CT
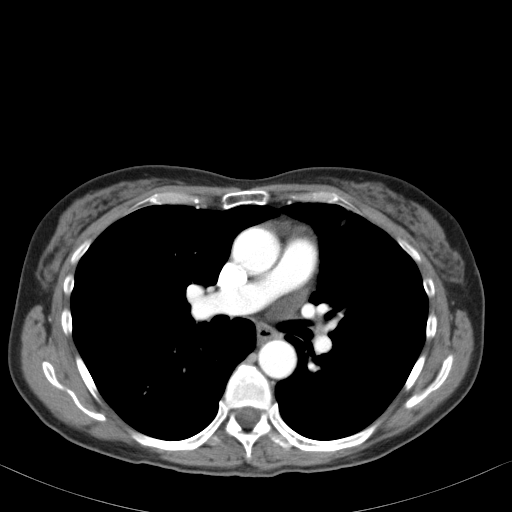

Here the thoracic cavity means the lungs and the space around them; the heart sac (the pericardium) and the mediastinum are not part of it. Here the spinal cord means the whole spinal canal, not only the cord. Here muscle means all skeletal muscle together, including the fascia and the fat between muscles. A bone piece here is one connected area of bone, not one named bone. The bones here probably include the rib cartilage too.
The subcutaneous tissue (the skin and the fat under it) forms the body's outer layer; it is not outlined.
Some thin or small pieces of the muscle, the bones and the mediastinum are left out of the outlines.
{"mediastinum":[[[281,213],[299,220],[312,228],[317,237],[318,243],[318,255],[319,256],[319,266],[315,290],[299,313],[282,326],[285,340],[296,351],[297,366],[273,393],[258,368],[244,361],[256,345],[254,324],[234,318],[216,291],[244,315],[265,322],[288,317],[292,315],[304,303],[313,287],[318,271],[318,270],[318,269],[318,268],[318,245],[317,244],[314,233],[307,225],[292,220],[269,221],[236,237]]],"muscle":[{"outer":[[275,183],[336,187],[413,237],[440,279],[449,309],[464,310],[473,329],[469,366],[451,395],[411,427],[356,453],[328,463],[267,470],[248,463],[232,467],[180,464],[96,438],[55,417],[23,377],[20,334],[33,306],[42,305],[46,316],[50,312],[54,287],[76,238],[102,215],[149,189],[179,184],[232,186],[241,189],[225,192],[219,199],[220,208],[204,207],[205,199],[197,194],[154,192],[73,251],[69,261],[76,265],[74,273],[69,272],[62,282],[63,293],[70,297],[69,307],[61,310],[60,325],[66,336],[72,336],[82,381],[99,404],[101,396],[132,428],[127,430],[132,439],[164,451],[213,446],[220,441],[219,430],[242,445],[247,460],[254,443],[264,435],[285,450],[334,452],[360,445],[374,433],[381,423],[378,417],[401,389],[406,392],[413,386],[424,366],[427,356],[421,352],[438,324],[436,314],[429,312],[429,298],[436,292],[434,281],[422,277],[417,264],[422,258],[408,241],[392,237],[343,196],[324,189],[308,190],[289,193],[285,202],[269,203],[268,190],[251,188]],"holes":[[[449,354],[452,354],[453,355],[453,361],[452,362],[452,365],[450,371],[443,383],[438,388],[433,390],[429,393],[426,397],[412,407],[410,408],[405,407],[404,406],[405,402],[412,395],[416,393],[419,393],[422,391],[435,378],[442,365],[444,359]],[[43,361],[47,361],[53,366],[58,381],[70,389],[75,394],[77,399],[84,407],[89,410],[103,414],[106,419],[104,421],[101,421],[89,416],[83,412],[75,404],[71,396],[65,390],[60,389],[53,385],[46,378],[43,372],[42,369],[42,362]]]}],"bones":[{"outer":[[243,361],[266,378],[281,418],[306,438],[335,440],[377,420],[380,423],[360,444],[334,451],[285,449],[264,434],[253,443],[249,459],[243,445],[222,429],[216,433],[215,444],[190,450],[143,445],[129,429],[177,441],[205,428],[218,411],[231,374]],"hole":[[243,407],[251,407],[252,408],[254,408],[259,411],[259,418],[258,419],[258,420],[256,422],[256,423],[251,428],[244,428],[238,422],[238,421],[236,418],[236,414],[237,413],[236,412],[236,411],[238,409],[239,409],[240,408],[242,408]]},[[165,191],[175,191],[176,192],[183,192],[192,195],[197,195],[204,199],[204,206],[203,207],[200,207],[197,205],[195,206],[190,204],[179,204],[178,203],[174,204],[173,203],[150,204],[142,206],[121,216],[126,210],[135,203],[152,195],[154,193]],[[247,189],[263,189],[264,190],[268,191],[271,195],[271,197],[268,203],[266,204],[253,204],[252,203],[249,203],[248,204],[239,204],[238,205],[236,205],[229,208],[226,208],[225,209],[221,208],[220,199],[225,193],[231,192],[232,191],[246,190]],[[319,190],[324,190],[325,191],[334,192],[338,194],[355,206],[359,210],[361,214],[354,212],[336,203],[328,203],[327,202],[320,202],[319,201],[291,201],[290,200],[287,201],[288,199],[288,195],[291,193],[307,192],[308,191],[318,191]],[[449,354],[452,354],[453,355],[453,361],[452,362],[452,365],[450,371],[443,383],[438,388],[433,390],[429,393],[426,397],[412,407],[410,408],[405,407],[404,406],[405,402],[412,395],[416,393],[419,393],[422,391],[435,378],[442,365],[444,359]],[[43,361],[47,361],[53,366],[58,381],[70,389],[75,394],[77,399],[84,407],[89,410],[103,414],[106,419],[104,421],[101,421],[89,416],[83,412],[75,404],[71,396],[65,390],[60,389],[53,385],[46,378],[43,372],[42,369],[42,362]],[[77,354],[79,354],[81,357],[98,390],[98,392],[100,395],[100,398],[101,399],[101,403],[99,403],[94,398],[94,397],[89,391],[88,388],[86,386],[85,383],[83,381],[80,375],[80,373],[77,368],[77,365],[75,360],[75,356]],[[421,353],[424,353],[426,356],[425,357],[425,360],[424,361],[423,366],[418,376],[416,378],[412,386],[408,390],[406,391],[404,390],[402,390],[402,388],[415,362],[417,360],[418,357]],[[396,237],[400,237],[401,238],[402,238],[403,239],[404,239],[407,242],[408,242],[418,252],[418,253],[419,254],[419,255],[421,258],[421,260],[420,261],[420,262],[419,262],[418,263],[417,263],[401,247],[401,246],[398,243],[398,242],[396,240]],[[90,238],[91,239],[92,239],[92,242],[90,244],[90,245],[88,247],[88,248],[86,250],[86,251],[78,260],[78,261],[76,264],[72,264],[71,263],[70,260],[71,259],[72,254],[74,252],[74,251],[85,240],[86,240],[87,239],[89,239]]],"thoracic_cavity":[[[289,201],[361,215],[416,263],[428,314],[402,387],[347,436],[309,438],[282,418],[275,387],[298,366],[283,326],[316,290],[320,256],[313,228],[281,212],[242,229],[215,276],[255,345],[214,417],[177,440],[134,429],[72,335],[79,260],[142,207]]],"torso":[[[140,164],[189,166],[236,178],[347,166],[387,173],[417,186],[456,218],[483,284],[483,355],[468,393],[431,428],[386,455],[311,473],[185,473],[120,460],[62,437],[32,411],[8,370],[7,343],[24,256],[37,224],[66,193],[97,175]]],"pericardium":[[[280,221],[292,221],[301,223],[311,230],[315,237],[317,245],[317,271],[314,276],[312,287],[309,290],[306,298],[292,314],[275,320],[259,320],[241,312],[229,299],[216,290],[216,276],[221,273],[230,256],[232,255],[234,242],[242,232],[261,224]]],"spinal_cord":[[[243,407],[251,407],[252,408],[254,408],[259,411],[259,418],[258,419],[258,420],[256,422],[256,423],[251,428],[244,428],[238,422],[238,421],[236,418],[236,414],[237,413],[236,412],[236,411],[238,409],[239,409],[240,408],[242,408]]]}